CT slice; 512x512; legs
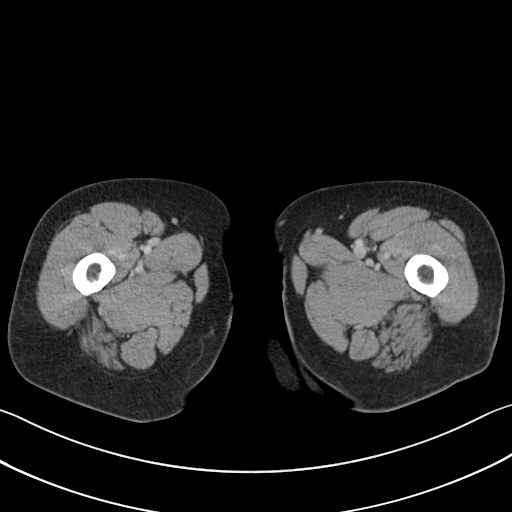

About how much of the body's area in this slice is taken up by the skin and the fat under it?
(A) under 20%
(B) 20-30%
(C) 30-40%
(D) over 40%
(D) over 40%
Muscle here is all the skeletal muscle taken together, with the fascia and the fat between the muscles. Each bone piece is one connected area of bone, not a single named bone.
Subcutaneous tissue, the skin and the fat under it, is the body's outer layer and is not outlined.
{"left_leg":[[[391,179],[454,189],[473,201],[490,221],[505,273],[492,359],[482,372],[387,412],[353,410],[349,401],[323,384],[325,395],[306,388],[300,397],[287,394],[263,353],[267,331],[278,336],[292,356],[282,309],[282,269],[272,233],[275,219],[309,191]]],"muscle":[{"outer":[[377,201],[412,203],[437,210],[460,222],[466,231],[467,251],[479,289],[478,301],[474,310],[456,325],[440,326],[433,335],[422,367],[402,374],[395,374],[388,379],[344,361],[317,340],[302,317],[290,274],[292,249],[295,243],[307,231],[317,224]],"hole":[[418,253],[425,253],[433,256],[441,262],[447,270],[447,272],[448,273],[448,281],[445,287],[434,297],[429,297],[427,295],[423,293],[421,293],[414,289],[410,286],[404,275],[404,267],[406,262],[411,256],[414,254],[417,254]]},{"outer":[[99,200],[120,201],[149,207],[176,226],[198,233],[206,240],[209,267],[208,293],[197,311],[190,332],[182,346],[153,372],[131,377],[98,372],[84,355],[75,338],[71,334],[68,335],[66,331],[49,325],[37,306],[35,289],[55,232],[69,215]],"hole":[[93,252],[101,252],[105,255],[106,255],[114,264],[115,266],[115,273],[113,277],[100,290],[96,292],[93,292],[89,295],[87,295],[86,296],[85,295],[83,295],[75,287],[75,286],[73,284],[73,282],[72,281],[72,271],[76,263],[82,257]]}],"bones":[[[418,253],[425,253],[433,256],[441,262],[447,270],[447,272],[448,273],[448,281],[445,287],[434,297],[429,297],[427,295],[423,293],[421,293],[414,289],[410,286],[404,275],[404,267],[406,262],[411,256],[414,254],[417,254]],[[93,252],[101,252],[105,255],[106,255],[114,264],[115,266],[115,273],[113,277],[100,290],[96,292],[93,292],[89,295],[87,295],[86,296],[85,295],[83,295],[75,287],[75,286],[73,284],[73,282],[72,281],[72,271],[76,263],[82,257]]],"right_leg":[[[121,177],[169,178],[197,184],[217,195],[231,216],[231,229],[223,243],[233,292],[233,314],[227,339],[212,369],[192,391],[185,407],[169,418],[152,422],[112,416],[29,383],[13,366],[7,346],[7,323],[21,261],[41,215],[54,201],[75,188]]]}